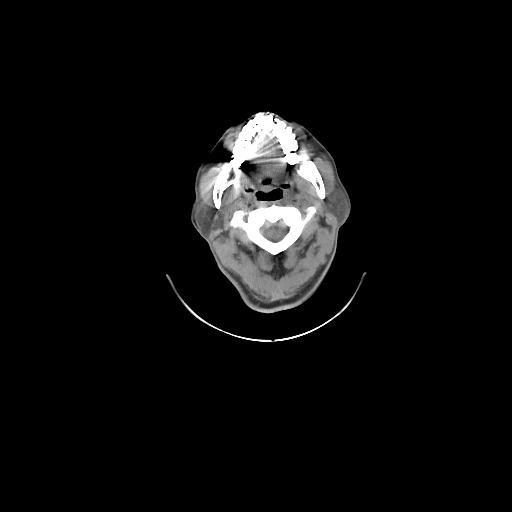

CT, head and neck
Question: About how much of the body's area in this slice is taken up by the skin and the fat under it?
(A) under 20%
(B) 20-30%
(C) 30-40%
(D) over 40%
Answer: (A) under 20%
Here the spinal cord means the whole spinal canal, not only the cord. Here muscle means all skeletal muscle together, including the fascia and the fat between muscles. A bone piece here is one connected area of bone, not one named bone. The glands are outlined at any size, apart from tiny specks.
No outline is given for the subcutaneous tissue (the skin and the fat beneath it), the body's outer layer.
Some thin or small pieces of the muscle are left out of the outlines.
Outlines:
parotid glands 1: (202, 199) (202, 201) (206, 205) (208, 205) (214, 210) (213, 211) (213, 213) (210, 220) (210, 225) (209, 226) (210, 227) (209, 228) (209, 235) (207, 237) (201, 234) (200, 231) (198, 229) (198, 224) (196, 221) (196, 218) (195, 217) (196, 208) (198, 204)
parotid glands 2: (334, 188) (339, 188) (343, 192) (343, 193) (345, 196) (345, 199) (346, 200) (346, 209) (345, 210) (344, 213) (341, 216) (340, 216) (339, 217) (336, 217) (336, 216) (335, 215) (334, 215) (334, 214) (328, 206) (328, 204) (327, 203) (327, 197) (330, 193) (330, 191)
head and neck: (267, 110) (298, 121) (325, 146) (335, 160) (340, 179) (351, 201) (350, 213) (338, 232) (334, 259) (317, 290) (304, 302) (273, 312) (257, 311) (243, 303) (232, 284) (218, 269) (206, 241) (190, 221) (195, 175) (203, 158) (227, 128) (247, 119) (252, 113), around a hole outlined by (276, 189) (280, 189) (282, 192) (281, 193) (281, 197) (280, 197) (278, 199) (268, 199) (267, 200) (264, 200) (263, 199) (259, 199) (256, 195) (256, 192) (257, 192) (258, 191) (259, 192) (264, 192) (265, 193) (266, 193) (267, 192) (270, 192) (272, 190) (275, 190)
spinal cord: (276, 221) (281, 221) (287, 227) (287, 232) (284, 235) (284, 236) (281, 239) (280, 239) (278, 241) (272, 241) (271, 240) (270, 240) (269, 239) (266, 238) (263, 235) (263, 234) (261, 232) (261, 228) (263, 226) (264, 226) (265, 225) (266, 222) (275, 222)
muscle: (288, 124) (299, 127) (331, 164) (335, 187) (326, 203) (337, 224) (331, 251) (313, 277) (292, 297) (267, 303) (256, 299) (220, 261) (209, 237) (215, 210) (200, 198) (199, 185) (204, 168) (225, 138) (243, 125) (230, 147) (228, 160) (212, 180) (216, 209) (221, 207) (223, 192) (229, 186) (241, 185) (241, 166) (254, 147) (251, 140) (262, 131) (276, 137) (285, 160) (312, 184) (317, 197) (324, 199) (322, 175) (315, 162) (297, 150) (296, 134), around holes outlined by (272, 202) (275, 202) (277, 205) (295, 206) (303, 214) (305, 213) (305, 209) (309, 206) (314, 206) (316, 208) (314, 218) (304, 227) (298, 238) (285, 250) (275, 255) (252, 242) (241, 228) (230, 226) (229, 223) (233, 213) (236, 210) (249, 211) (260, 206) (268, 206) and by (276, 189) (280, 189) (282, 192) (281, 193) (281, 197) (280, 197) (278, 199) (268, 199) (267, 200) (264, 200) (263, 199) (259, 199) (256, 195) (256, 192) (257, 192) (258, 191) (259, 192) (264, 192) (265, 193) (266, 193) (267, 192) (270, 192) (272, 190) (275, 190)
bones 1: (257, 113) (272, 114) (291, 127) (296, 150) (305, 153) (321, 175) (324, 198) (319, 198) (313, 184) (286, 160) (277, 137) (262, 130) (250, 140) (253, 147) (240, 166) (240, 185) (229, 185) (222, 192) (220, 207) (215, 207) (213, 180) (222, 164) (229, 160) (242, 127)
bones 2: (272, 202) (275, 202) (277, 205) (295, 206) (303, 214) (305, 213) (305, 209) (309, 206) (314, 206) (316, 208) (314, 218) (304, 227) (298, 238) (285, 250) (275, 255) (252, 242) (241, 228) (230, 226) (229, 223) (233, 213) (236, 210) (249, 211) (260, 206) (268, 206) with a hole at (276, 221) (281, 221) (287, 227) (287, 232) (284, 235) (284, 236) (281, 239) (280, 239) (278, 241) (272, 241) (271, 240) (270, 240) (269, 239) (266, 238) (263, 235) (263, 234) (261, 232) (261, 228) (263, 226) (264, 226) (265, 225) (266, 222) (275, 222)